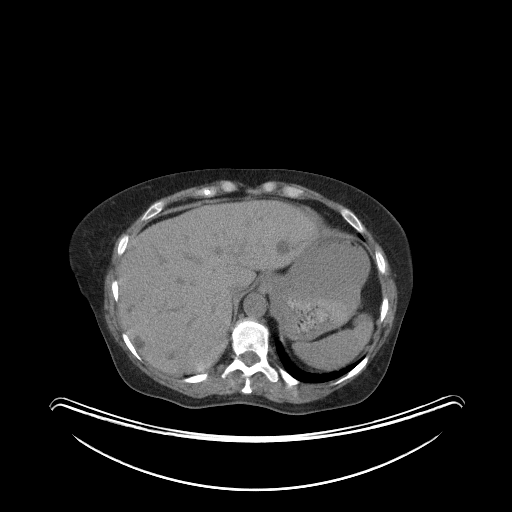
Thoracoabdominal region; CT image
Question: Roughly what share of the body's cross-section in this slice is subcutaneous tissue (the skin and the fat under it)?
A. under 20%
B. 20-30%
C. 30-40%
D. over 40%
Answer: B. 20-30%
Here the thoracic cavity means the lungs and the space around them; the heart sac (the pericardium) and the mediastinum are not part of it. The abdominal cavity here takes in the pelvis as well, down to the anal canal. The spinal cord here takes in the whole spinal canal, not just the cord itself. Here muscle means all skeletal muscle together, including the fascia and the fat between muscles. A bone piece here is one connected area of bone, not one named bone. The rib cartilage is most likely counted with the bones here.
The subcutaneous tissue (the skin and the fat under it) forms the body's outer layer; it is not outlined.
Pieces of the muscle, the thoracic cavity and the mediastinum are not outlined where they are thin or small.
{"thoracic_cavity":[[[275,340],[279,341],[283,351],[292,364],[299,368],[300,370],[311,374],[325,374],[337,371],[363,357],[350,370],[336,379],[332,379],[323,382],[305,382],[300,381],[291,375],[280,365],[276,355],[272,348],[270,347],[270,344],[272,346],[274,345]]],"spinal_cord":[[[247,351],[251,351],[252,352],[253,352],[254,353],[255,353],[257,355],[257,356],[258,357],[258,360],[256,362],[255,362],[254,363],[253,363],[251,365],[247,365],[240,358],[240,357],[241,356],[241,355],[242,354],[243,354],[245,352],[246,352]]],"abdominal_cavity":[[[247,193],[295,199],[323,214],[336,230],[365,240],[382,297],[365,355],[325,373],[300,369],[274,339],[269,302],[258,291],[241,298],[231,347],[216,367],[184,377],[168,375],[139,354],[124,331],[118,308],[118,273],[130,238],[162,212],[185,203]]],"mediastinum":[[[255,292],[262,293],[268,302],[268,315],[269,316],[269,321],[270,322],[270,330],[273,334],[273,339],[274,340],[273,345],[270,343],[270,330],[265,324],[249,317],[240,318],[236,321],[236,318],[239,312],[239,306],[242,298],[248,294],[254,293]],[[296,199],[312,200],[318,202],[329,208],[334,212],[339,214],[339,215],[358,233],[358,235],[354,233],[348,233],[345,231],[341,231],[339,229],[336,229],[330,222],[328,221],[323,213],[316,209],[315,207],[313,207],[307,203],[304,203]],[[239,191],[243,191],[246,193],[245,194],[216,198],[204,198],[193,200],[185,202],[178,206],[169,209],[167,211],[163,212],[162,211],[170,204],[178,202],[180,200],[186,199],[190,197],[194,196],[198,198],[199,198],[211,198],[212,197],[215,196],[219,196]]],"bones":[{"outer":[[244,318],[255,320],[268,328],[270,362],[278,364],[297,379],[298,384],[287,387],[281,377],[272,382],[261,371],[257,371],[249,378],[251,392],[246,394],[241,392],[245,384],[241,370],[236,369],[224,378],[221,377],[234,356],[232,329],[238,320]],"hole":[[247,351],[251,351],[252,352],[253,352],[254,353],[255,353],[257,355],[257,356],[258,357],[258,360],[256,362],[255,362],[254,363],[253,363],[251,365],[247,365],[240,358],[240,357],[241,356],[241,355],[242,354],[243,354],[245,352],[246,352]]},[[225,180],[231,181],[237,186],[237,189],[235,191],[228,192],[227,193],[220,191],[217,195],[215,195],[211,197],[198,197],[197,196],[195,196],[193,194],[194,191],[197,189],[199,189],[203,187],[208,187],[212,185],[218,185],[222,181],[224,181]],[[267,181],[274,181],[279,186],[282,186],[283,185],[290,185],[291,186],[302,189],[304,192],[303,197],[302,198],[287,197],[286,196],[281,195],[281,192],[279,189],[277,189],[272,192],[269,192],[268,193],[262,192],[261,191],[261,186],[263,183]],[[341,207],[347,207],[348,208],[349,208],[357,216],[357,217],[361,222],[361,223],[362,224],[362,226],[364,229],[364,231],[363,232],[363,233],[362,233],[361,234],[360,233],[359,233],[355,229],[354,229],[341,216],[341,215],[339,212]],[[158,200],[163,200],[165,202],[165,205],[164,206],[163,209],[157,215],[156,215],[151,219],[150,219],[147,221],[146,221],[145,220],[141,220],[141,217],[142,216],[142,215],[144,213],[144,212],[147,209],[147,208],[152,203],[153,203]],[[366,355],[367,355],[368,356],[368,360],[367,361],[365,366],[357,374],[356,374],[337,384],[334,384],[333,385],[332,384],[332,383],[333,383],[337,379],[338,379],[342,376],[345,375],[349,371],[350,371],[364,357],[364,356],[365,356]],[[376,249],[378,249],[381,252],[381,253],[382,254],[382,255],[383,256],[383,257],[384,258],[384,260],[385,261],[385,272],[383,274],[381,274],[380,273],[379,273],[378,272],[378,270],[377,269],[377,266],[376,265],[376,262],[375,261],[375,250]],[[204,372],[206,372],[208,374],[208,375],[207,376],[207,378],[202,381],[200,381],[199,382],[194,382],[193,383],[190,383],[189,382],[185,382],[183,381],[183,378],[185,377],[187,377],[188,376],[192,376],[196,374],[201,374]],[[123,332],[125,332],[127,334],[130,341],[134,346],[136,351],[141,357],[141,358],[142,359],[141,360],[139,360],[137,358],[136,358],[135,357],[135,356],[130,351],[130,350],[126,345],[126,344],[123,340],[123,338],[122,337],[122,333]],[[384,296],[386,296],[387,297],[387,299],[388,300],[388,309],[387,310],[387,312],[386,313],[386,315],[385,316],[384,319],[381,322],[379,322],[378,321],[379,320],[379,317],[380,316],[380,306],[381,305],[381,303],[382,302],[382,298]],[[123,234],[126,234],[127,235],[128,235],[128,241],[127,242],[127,245],[125,248],[125,250],[123,252],[123,253],[121,255],[118,255],[118,254],[117,253],[117,247],[118,246],[118,243],[119,242],[119,240],[120,239],[120,238],[121,237],[121,236]],[[113,280],[117,280],[117,283],[118,284],[118,300],[117,301],[115,301],[115,300],[114,299],[114,297],[113,296],[113,293],[112,292],[112,289],[111,288],[111,283],[112,282],[112,281]]],"muscle":[[[143,212],[140,220],[145,221],[145,224],[129,239],[129,235],[123,233],[118,240],[116,253],[121,259],[117,279],[110,283],[123,328],[122,340],[139,361],[143,360],[162,374],[182,377],[183,382],[190,384],[206,380],[209,375],[207,372],[223,363],[231,348],[233,356],[220,377],[224,379],[236,370],[241,371],[244,377],[240,389],[242,393],[196,398],[165,386],[136,366],[111,334],[103,307],[105,276],[116,240]],[[363,224],[381,246],[396,285],[397,305],[387,340],[361,374],[323,398],[304,403],[280,403],[249,394],[252,392],[250,378],[257,372],[272,383],[281,378],[287,388],[300,382],[332,380],[335,380],[331,383],[333,386],[357,375],[366,366],[369,360],[366,354],[378,322],[381,323],[387,315],[389,300],[386,295],[382,296],[379,277],[386,272],[385,258],[378,248],[374,250],[374,257],[370,251],[362,235],[365,231]],[[272,180],[275,180],[276,181],[284,181],[285,182],[291,182],[292,183],[297,183],[300,185],[305,186],[310,189],[317,191],[324,196],[345,206],[341,206],[338,211],[339,213],[338,213],[318,201],[312,199],[303,198],[305,192],[302,188],[290,184],[283,184],[282,185],[279,185],[278,184],[277,183],[276,182],[275,181],[274,180]],[[222,179],[225,179],[222,180],[218,184],[212,184],[208,186],[203,186],[197,188],[193,191],[192,193],[193,196],[190,196],[186,198],[180,199],[178,201],[172,202],[165,207],[166,202],[163,199],[159,199],[182,189]],[[229,180],[239,181],[240,182],[242,182],[243,183],[245,183],[249,185],[255,185],[256,184],[260,184],[262,183],[260,186],[260,191],[261,192],[260,193],[248,193],[243,190],[239,190],[238,191],[236,191],[238,189],[238,186],[233,181]]],"torso":[[[204,168],[286,168],[322,174],[371,195],[401,224],[412,250],[412,293],[386,373],[363,401],[303,415],[285,414],[247,404],[194,409],[142,394],[129,387],[120,377],[92,309],[80,292],[70,269],[67,252],[70,236],[79,221],[111,195],[154,177]]]}